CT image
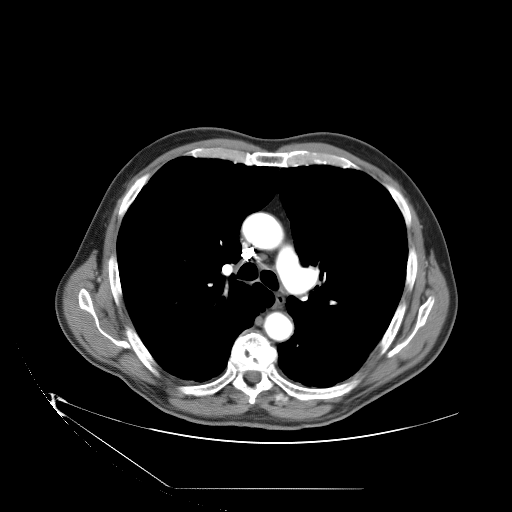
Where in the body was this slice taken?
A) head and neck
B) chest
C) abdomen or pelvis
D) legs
Answer: B) chest
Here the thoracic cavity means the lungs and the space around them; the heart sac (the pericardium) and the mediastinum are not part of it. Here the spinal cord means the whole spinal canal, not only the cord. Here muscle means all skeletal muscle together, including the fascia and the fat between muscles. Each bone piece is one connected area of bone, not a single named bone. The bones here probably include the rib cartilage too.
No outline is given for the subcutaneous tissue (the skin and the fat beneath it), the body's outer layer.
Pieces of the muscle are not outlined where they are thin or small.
bones 1: 247,329 260,333 276,348 278,372 295,384 327,388 354,376 361,379 349,392 326,399 276,400 274,395 281,390 276,385 261,391 252,404 247,394 231,384 209,395 184,394 178,386 210,382 225,371 235,339; inner edge: 247,371 257,371 258,372 259,372 260,373 260,379 257,382 256,382 255,383 250,383 249,382 248,382 245,379 245,378 244,377 244,374 245,373 245,372 246,372
bones 2: 198,147 222,147 250,153 256,151 287,152 292,150 308,150 342,156 359,166 361,169 343,168 329,164 316,163 306,163 302,165 287,167 267,165 246,165 235,160 215,157 194,157 190,155 183,155 185,152
bones 3: 81,288 84,288 89,293 101,328 113,338 117,340 126,340 127,337 125,333 125,326 133,326 142,343 158,364 157,368 160,376 158,377 151,372 130,347 124,348 116,345 99,331 93,316 79,306 78,293
bones 4: 429,296 433,296 434,302 425,323 397,353 390,357 387,357 385,353 379,356 379,351 376,350 375,347 387,329 400,301 405,301 406,308 400,326 387,349 388,351 402,342 411,333 416,323 419,308
bones 5: 147,173 150,173 151,174 151,176 148,179 146,183 141,188 127,209 121,221 119,222 118,220 118,212 119,211 119,207 120,206 120,204 122,201 122,199 124,195 128,189 132,185 132,184 139,177
bones 6: 113,253 115,253 116,254 116,259 117,260 117,268 118,269 119,281 120,282 121,292 122,293 122,300 119,307 118,307 115,303 115,301 114,300 114,298 111,291 110,283 109,282 108,260 110,256
bones 7: 383,183 387,183 393,186 396,189 397,189 404,197 409,208 409,211 411,215 411,224 410,225 410,227 408,229 407,229 406,227 405,221 402,215 402,213 400,211 397,204 395,202 389,191 382,184
bones 8: 411,246 413,246 414,247 415,251 416,252 416,255 417,256 417,271 416,272 415,279 413,283 413,287 410,291 408,291 406,290 404,287 405,286 405,279 406,278 407,260 408,259 408,254 409,253 409,247
spinal cord: 247,371 257,371 258,372 259,372 260,373 260,379 257,382 256,382 255,383 250,383 249,382 248,382 245,379 245,378 244,377 244,374 245,373 245,372 246,372
muscle: 212,138 239,139 266,150 194,147 131,184 118,207 116,251 107,260 107,271 114,303 119,308 123,300 132,325 124,326 126,339 113,337 102,328 90,293 81,287 77,293 78,306 92,316 98,331 116,346 130,348 156,377 161,376 159,366 191,382 176,387 184,395 209,396 231,385 247,395 251,405 261,392 275,386 280,390 273,397 282,402 290,397 307,401 343,396 360,383 362,379 354,375 374,349 379,357 397,354 426,323 435,302 433,295 426,298 418,308 410,333 388,350 407,308 406,301 401,299 404,288 408,292 413,289 418,271 416,249 408,246 410,208 397,188 380,183 342,155 308,149 274,151 291,143 322,142 355,155 396,180 425,229 449,290 449,306 436,341 419,362 368,393 311,420 288,421 261,408 237,415 205,417 170,406 140,382 95,358 79,343 63,313 63,289 70,275 97,245 128,182 165,152
torso: 198,126 229,128 262,138 314,131 339,132 373,145 409,175 441,227 458,293 454,325 433,362 341,420 322,427 286,431 200,425 168,415 117,376 91,364 70,344 56,318 55,291 107,187 140,149 168,133
mediastinum: 277,191 309,288 301,299 294,295 286,298 285,306 293,320 294,331 289,339 280,342 276,347 260,332 248,329 266,305 264,290 253,283 250,285 238,279 234,265 241,254 239,232 242,222 247,216 263,208
thoracic cavity: 180,156 361,170 388,191 406,228 404,286 353,375 310,387 276,366 277,346 295,331 287,298 310,288 277,190 239,228 235,276 263,290 265,305 234,339 224,371 192,384 159,365 123,299 117,238 142,188